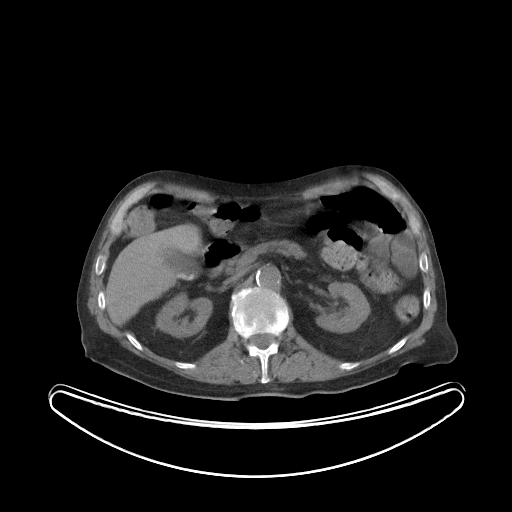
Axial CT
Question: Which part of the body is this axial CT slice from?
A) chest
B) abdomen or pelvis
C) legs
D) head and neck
Answer: B) abdomen or pelvis
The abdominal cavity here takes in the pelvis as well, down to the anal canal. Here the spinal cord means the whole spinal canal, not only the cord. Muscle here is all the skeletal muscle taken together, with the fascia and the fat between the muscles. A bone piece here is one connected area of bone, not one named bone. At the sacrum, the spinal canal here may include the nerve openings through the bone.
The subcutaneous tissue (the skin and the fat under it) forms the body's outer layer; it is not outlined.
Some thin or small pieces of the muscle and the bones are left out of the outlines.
The abdominal cavity is outlined by (361, 186) (394, 203) (415, 236) (419, 254) (420, 321) (390, 347) (355, 361) (325, 353) (297, 331) (293, 312) (277, 291) (257, 286) (231, 294) (225, 339) (193, 361) (160, 355) (109, 319) (104, 271) (110, 247) (127, 210) (144, 196) (168, 193) (201, 202) (299, 200). The spinal cord is outlined by (265, 333) (267, 333) (268, 334) (271, 334) (273, 335) (273, 336) (275, 338) (274, 340) (267, 347) (265, 348) (260, 348) (256, 345) (254, 345) (250, 343) (249, 341) (249, 339) (251, 336) (255, 334) (264, 334). The bones appear in 10 outlined pieces: piece 1: (247, 287) (257, 287) (263, 290) (269, 289) (277, 292) (285, 300) (288, 306) (289, 321) (277, 340) (279, 343) (278, 351) (268, 357) (267, 374) (270, 380) (266, 383) (260, 382) (261, 363) (259, 358) (248, 354) (246, 342) (235, 330) (230, 314) (232, 294) (242, 288), around a hole outlined by (265, 333) (267, 333) (268, 334) (271, 334) (273, 335) (273, 336) (275, 338) (274, 340) (267, 347) (265, 348) (260, 348) (256, 345) (254, 345) (250, 343) (249, 341) (249, 339) (251, 336) (255, 334) (264, 334); piece 2: (369, 176) (375, 176) (383, 179) (397, 192) (401, 194) (401, 195) (405, 198) (409, 210) (415, 216) (419, 224) (419, 231) (420, 232) (419, 235) (415, 235) (412, 231) (412, 228) (410, 225) (408, 216) (404, 209) (397, 202) (393, 201) (383, 193) (376, 185) (369, 179); piece 3: (147, 184) (156, 184) (156, 185) (153, 188) (147, 191) (141, 198) (133, 203) (126, 210) (121, 222) (121, 229) (119, 233) (117, 235) (112, 234) (110, 230) (110, 225) (116, 212) (122, 203) (126, 199) (126, 198) (127, 198) (130, 195) (130, 194) (131, 194) (136, 189); piece 4: (100, 254) (102, 254) (103, 255) (104, 255) (106, 257) (106, 265) (105, 266) (105, 269) (102, 272) (102, 273) (101, 273) (100, 274) (99, 274) (98, 275) (97, 275) (95, 272) (95, 262) (96, 261) (96, 258) (97, 257) (97, 256); piece 5: (422, 252) (424, 252) (426, 254) (426, 255) (427, 256) (427, 260) (428, 261) (428, 269) (427, 270) (427, 271) (426, 272) (423, 272) (420, 269) (420, 267) (419, 266) (419, 255); piece 6: (404, 336) (406, 336) (407, 337) (407, 339) (406, 340) (406, 341) (405, 342) (405, 343) (399, 349) (398, 349) (397, 350) (396, 350) (395, 351) (394, 351) (392, 353) (388, 353) (388, 350) (389, 349) (389, 348) (390, 348) (394, 344) (395, 344) (400, 339) (401, 339); piece 7: (425, 288) (428, 288) (429, 289) (429, 293) (430, 294) (430, 304) (429, 305) (429, 306) (428, 307) (428, 308) (427, 309) (425, 309) (423, 307) (423, 291) (424, 290) (424, 289); piece 8: (126, 333) (130, 333) (133, 336) (134, 336) (136, 338) (136, 339) (141, 344) (141, 345) (142, 346) (142, 350) (140, 350) (139, 349) (138, 349) (136, 347) (135, 347) (130, 342) (130, 341) (127, 338) (127, 337) (126, 336); piece 9: (356, 361) (358, 361) (359, 362) (359, 364) (356, 367) (355, 367) (354, 368) (352, 368) (351, 369) (341, 369) (339, 367) (339, 364) (340, 364) (341, 363) (342, 363) (343, 362) (355, 362); piece 10: (175, 361) (180, 361) (181, 362) (190, 362) (191, 363) (194, 363) (196, 365) (196, 366) (194, 368) (180, 368) (179, 367) (178, 367) (177, 366) (176, 366) (175, 365). The torso is outlined by (345, 163) (367, 164) (388, 171) (404, 185) (425, 214) (444, 276) (447, 320) (458, 344) (453, 361) (429, 366) (406, 364) (393, 376) (339, 393) (219, 400) (162, 391) (84, 355) (76, 311) (82, 265) (105, 210) (129, 181) (153, 170) (180, 169) (227, 180) (267, 182). The muscle appears in 2 outlined pieces: piece 1: (358, 171) (378, 174) (395, 185) (418, 212) (425, 229) (435, 273) (437, 308) (430, 335) (421, 345) (333, 379) (269, 382) (269, 357) (279, 351) (278, 340) (290, 321) (289, 307) (296, 331) (318, 350) (343, 361) (338, 364) (341, 370) (354, 369) (360, 360) (384, 350) (388, 349) (388, 354) (399, 350) (407, 335) (419, 325) (423, 309) (429, 308) (430, 289) (424, 288) (422, 275) (428, 271) (429, 261) (424, 251) (419, 253) (416, 239) (421, 234) (420, 224) (406, 198) (375, 175) (369, 175) (368, 179) (380, 191) (361, 185) (299, 199) (201, 201) (168, 192) (145, 195) (157, 185) (147, 183) (130, 193) (115, 212) (109, 230) (116, 236) (108, 258) (100, 253) (94, 262) (95, 274) (103, 272) (103, 290) (97, 294) (97, 306) (105, 309) (108, 319) (126, 332) (126, 338) (135, 348) (142, 351) (143, 345) (174, 360) (180, 369) (194, 369) (197, 365) (191, 362) (226, 339) (229, 312) (234, 330) (245, 342) (247, 354) (259, 360) (257, 383) (213, 384) (181, 376) (120, 345) (88, 312) (91, 265) (102, 232) (116, 204) (137, 185) (160, 180) (219, 195) (257, 198) (297, 192); piece 2: (395, 203) (397, 203) (403, 209) (403, 210) (405, 212) (405, 213) (406, 214) (406, 215) (407, 216) (407, 218) (408, 219) (408, 222) (408, 221) (407, 220) (407, 219) (405, 217) (405, 216) (403, 214) (403, 213) (398, 208) (398, 207) (395, 204).